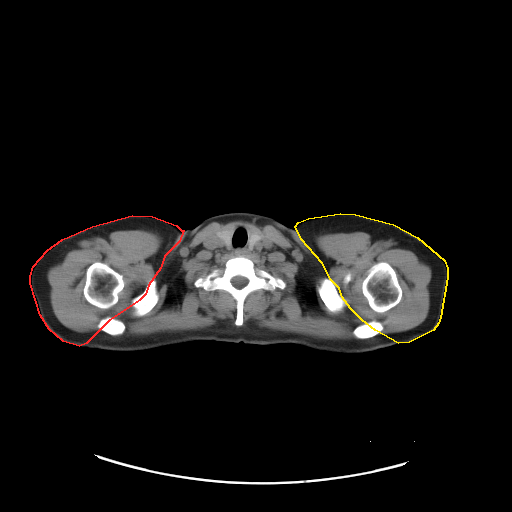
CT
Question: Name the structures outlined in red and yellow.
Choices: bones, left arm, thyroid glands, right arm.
Answer: red: right arm; yellow: left arm.
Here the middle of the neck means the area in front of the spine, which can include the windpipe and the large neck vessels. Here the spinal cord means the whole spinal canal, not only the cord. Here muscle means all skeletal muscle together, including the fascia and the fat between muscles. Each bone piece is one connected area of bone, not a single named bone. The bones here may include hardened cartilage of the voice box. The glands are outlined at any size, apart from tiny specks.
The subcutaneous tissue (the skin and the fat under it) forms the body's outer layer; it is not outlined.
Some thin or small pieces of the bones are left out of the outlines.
The right arm is outlined by (132, 215) (152, 216) (176, 225) (181, 230) (183, 230) (179, 241) (164, 256) (160, 268) (148, 285) (145, 294) (139, 300) (109, 320) (86, 343) (79, 346) (63, 341) (49, 329) (40, 315) (30, 283) (30, 276) (33, 266) (47, 250) (62, 239) (92, 226). The left arm is outlined by (340, 213) (355, 214) (393, 224) (417, 237) (444, 260) (447, 268) (447, 277) (440, 317) (438, 323) (433, 330) (409, 342) (398, 343) (375, 330) (362, 320) (350, 308) (342, 297) (339, 288) (331, 280) (322, 263) (301, 239) (295, 226) (298, 222) (308, 218). The thyroid glands appear in 2 outlined pieces: piece 1: (250, 226) (252, 226) (253, 227) (255, 227) (259, 231) (259, 232) (260, 233) (260, 234) (261, 235) (261, 239) (259, 241) (259, 242) (251, 250) (250, 250) (249, 249) (249, 247) (248, 246) (248, 242) (249, 241) (249, 236) (250, 235); piece 2: (230, 226) (233, 226) (233, 227) (232, 228) (232, 232) (231, 233) (231, 237) (230, 238) (230, 244) (229, 245) (229, 246) (228, 247) (227, 247) (226, 246) (225, 246) (219, 239) (219, 238) (217, 235) (217, 233) (219, 231) (220, 231) (227, 227) (229, 227). The middle of the neck is outlined by (237, 224) (245, 224) (249, 227) (247, 246) (250, 251) (260, 242) (262, 236) (271, 240) (273, 247) (270, 250) (252, 253) (246, 256) (233, 255) (218, 249) (207, 249) (203, 245) (203, 241) (210, 236) (217, 236) (221, 243) (228, 248) (231, 244) (233, 228). The bones appear in 7 outlined pieces: piece 1: (234, 256) (247, 257) (256, 267) (279, 277) (286, 284) (283, 289) (276, 288) (273, 291) (257, 289) (249, 293) (243, 303) (243, 324) (240, 326) (234, 323) (236, 301) (227, 291) (220, 289) (207, 291) (194, 285) (197, 278) (205, 276) (215, 268) (222, 268) (226, 261); inner edge: (235, 276) (242, 276) (243, 277) (245, 277) (247, 279) (247, 283) (244, 286) (243, 286) (242, 287) (241, 287) (240, 288) (237, 288) (236, 287) (235, 287) (232, 284) (232, 283) (231, 282) (231, 279) (233, 277) (234, 277); piece 2: (381, 261) (387, 262) (396, 271) (397, 277) (402, 291) (402, 296) (400, 301) (393, 307) (384, 312) (376, 312) (369, 306) (367, 299) (362, 293) (362, 289) (361, 287) (362, 286) (363, 279) (366, 275) (367, 271) (369, 268) (370, 268) (375, 263) (380, 262); piece 3: (96, 261) (100, 261) (106, 263) (122, 276) (124, 282) (124, 286) (122, 290) (118, 293) (118, 299) (117, 302) (111, 307) (105, 309) (104, 308) (97, 307) (88, 302) (86, 300) (83, 294) (83, 288) (84, 287) (84, 282) (85, 281) (86, 269) (88, 266); piece 4: (322, 277) (326, 277) (328, 278) (333, 283) (333, 284) (335, 286) (338, 292) (346, 299) (347, 301) (347, 303) (345, 307) (343, 309) (343, 311) (342, 312) (340, 313) (333, 313) (329, 311) (327, 309) (325, 304) (321, 299) (318, 293) (317, 288) (319, 285) (319, 280); piece 5: (152, 278) (154, 278) (157, 282) (157, 292) (158, 293) (158, 300) (157, 301) (156, 304) (146, 314) (145, 314) (142, 316) (140, 316) (139, 317) (135, 317) (132, 315) (132, 307) (131, 306) (131, 300) (135, 296) (140, 294) (144, 290) (144, 289) (146, 287) (148, 282); piece 6: (371, 320) (377, 320) (381, 322) (383, 326) (383, 329) (379, 333) (378, 333) (374, 336) (372, 336) (368, 338) (364, 338) (363, 339) (359, 339) (358, 338) (356, 338) (353, 335) (353, 330) (358, 325) (364, 322) (366, 322) (367, 321) (370, 321); piece 7: (106, 316) (112, 316) (115, 318) (120, 319) (124, 323) (125, 325) (125, 331) (123, 333) (123, 334) (121, 335) (117, 335) (115, 336) (114, 335) (111, 335) (108, 333) (106, 333) (98, 328) (97, 325) (99, 321) (102, 318). The spinal cord is outlined by (235, 276) (242, 276) (243, 277) (245, 277) (247, 279) (247, 283) (244, 286) (243, 286) (242, 287) (241, 287) (240, 288) (237, 288) (236, 287) (235, 287) (232, 284) (232, 283) (231, 282) (231, 279) (233, 277) (234, 277). The muscle is outlined by (238, 219) (270, 224) (300, 248) (303, 260) (297, 291) (307, 310) (318, 308) (314, 284) (325, 264) (315, 244) (316, 236) (364, 230) (393, 238) (431, 267) (426, 318) (413, 328) (381, 334) (382, 322) (367, 320) (347, 339) (274, 330) (253, 320) (243, 325) (249, 294) (283, 290) (287, 284) (247, 256) (270, 251) (272, 240) (255, 226) (237, 223) (202, 241) (207, 250) (233, 256) (193, 282) (196, 288) (225, 291) (234, 299) (234, 324) (219, 319) (199, 329) (131, 335) (124, 334) (126, 325) (120, 318) (106, 315) (96, 325) (102, 331) (77, 332) (66, 327) (52, 310) (46, 274) (77, 241) (117, 230) (158, 233) (163, 243) (152, 261) (157, 274) (168, 282) (169, 297) (176, 301) (182, 288) (177, 249) (211, 222), around holes outlined by (381, 261) (387, 262) (396, 271) (397, 277) (402, 291) (402, 296) (400, 301) (393, 307) (384, 312) (376, 312) (369, 306) (367, 299) (362, 293) (362, 289) (361, 287) (362, 286) (363, 279) (366, 275) (367, 271) (369, 268) (370, 268) (375, 263) (380, 262) and by (96, 261) (100, 261) (106, 263) (122, 276) (124, 282) (124, 286) (122, 290) (118, 293) (118, 299) (117, 302) (111, 307) (105, 309) (104, 308) (97, 307) (88, 302) (86, 300) (83, 294) (83, 288) (84, 287) (84, 282) (85, 281) (86, 269) (88, 266) and by (152, 278) (154, 278) (157, 282) (157, 292) (158, 293) (158, 300) (157, 301) (156, 304) (146, 314) (145, 314) (142, 316) (140, 316) (139, 317) (135, 317) (132, 315) (132, 307) (131, 306) (131, 300) (135, 296) (140, 294) (144, 290) (144, 289) (146, 287) (148, 282) and by (322, 277) (326, 277) (328, 278) (333, 283) (333, 284) (335, 286) (338, 292) (346, 299) (347, 301) (347, 303) (345, 307) (343, 309) (343, 311) (342, 312) (340, 313) (333, 313) (329, 311) (327, 309) (325, 304) (321, 299) (318, 293) (317, 288) (319, 285) (319, 280) and by (348, 272) (349, 272) (351, 274) (351, 279) (350, 280) (350, 281) (347, 284) (346, 284) (345, 285) (343, 283) (343, 279) (344, 278) (344, 276). The torso is outlined by (229, 212) (260, 214) (288, 227) (294, 226) (300, 239) (321, 263) (349, 308) (375, 331) (401, 344) (360, 353) (317, 350) (295, 343) (262, 345) (215, 340) (194, 340) (135, 351) (81, 346) (109, 321) (146, 294) (165, 256) (178, 244) (184, 230) (193, 228) (209, 217).